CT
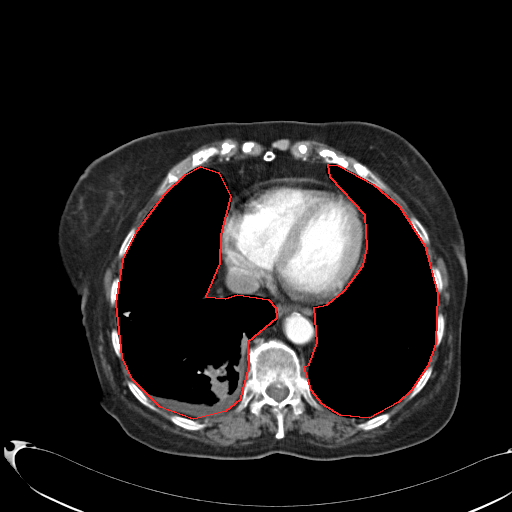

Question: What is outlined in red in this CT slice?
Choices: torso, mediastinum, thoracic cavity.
Answer: red: thoracic cavity.
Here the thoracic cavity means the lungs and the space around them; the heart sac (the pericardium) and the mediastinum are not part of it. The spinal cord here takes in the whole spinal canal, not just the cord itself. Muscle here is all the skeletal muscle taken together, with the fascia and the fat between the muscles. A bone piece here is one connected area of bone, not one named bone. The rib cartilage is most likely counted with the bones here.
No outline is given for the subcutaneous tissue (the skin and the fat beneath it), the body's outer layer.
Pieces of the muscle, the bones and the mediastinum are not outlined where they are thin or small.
{"thoracic_cavity":[[[200,166],[218,172],[230,196],[220,234],[219,263],[205,296],[225,298],[237,294],[268,299],[275,307],[276,318],[247,342],[248,366],[239,400],[225,411],[193,419],[160,407],[132,379],[122,357],[116,303],[123,259],[137,230],[165,193],[185,174]],[[328,164],[338,165],[373,184],[399,206],[424,245],[437,293],[435,343],[427,366],[411,390],[398,402],[369,418],[340,415],[322,404],[311,390],[304,366],[309,364],[317,342],[314,307],[327,304],[344,290],[363,265],[367,247],[365,215],[330,177]]],"torso":[[[264,120],[359,120],[389,128],[415,146],[451,196],[463,230],[468,279],[461,381],[450,420],[431,438],[375,456],[312,460],[273,453],[218,460],[152,449],[128,436],[100,406],[80,298],[60,263],[56,241],[58,221],[76,180],[94,159],[156,131]]],"mediastinum":[[[276,151],[287,152],[301,160],[306,158],[326,163],[329,177],[341,189],[328,181],[314,177],[272,177],[263,181],[256,181],[239,190],[231,201],[224,177],[215,169],[202,165],[220,159],[241,158],[248,155],[261,156],[264,161],[269,162],[275,158]],[[221,257],[224,280],[229,289],[236,292],[246,293],[250,295],[256,295],[257,296],[258,296],[259,296],[267,296],[279,304],[314,306],[313,326],[316,342],[307,365],[302,362],[291,346],[276,338],[261,340],[247,351],[248,342],[276,321],[276,307],[268,298],[263,298],[262,297],[256,296],[255,295],[248,294],[238,294],[235,293],[225,297],[206,296],[216,276]]],"bones":[{"outer":[[270,339],[280,340],[296,352],[306,371],[310,390],[321,406],[317,409],[305,401],[304,411],[295,414],[287,405],[283,416],[284,436],[280,439],[275,437],[278,425],[270,406],[264,405],[259,415],[251,413],[248,406],[235,411],[247,379],[248,350]],"hole":[[272,384],[274,384],[274,385],[277,388],[281,388],[283,386],[285,386],[288,389],[288,393],[287,395],[283,399],[279,401],[276,400],[274,398],[270,396],[267,393],[266,390],[267,388],[270,385]]},[[227,139],[234,140],[237,143],[237,150],[232,156],[225,157],[218,154],[212,156],[203,164],[197,166],[185,173],[164,193],[161,198],[157,195],[157,191],[167,173],[176,164],[186,158],[190,158],[195,152],[201,149],[210,146],[218,147],[224,140]],[[318,148],[326,148],[327,149],[332,150],[340,156],[343,156],[347,159],[352,159],[353,160],[355,160],[363,164],[387,186],[388,188],[387,193],[376,186],[373,183],[361,177],[356,173],[338,164],[324,162],[323,161],[323,159],[317,153],[317,149]],[[278,139],[287,139],[292,143],[297,141],[304,141],[309,143],[311,147],[309,149],[309,151],[308,152],[308,158],[305,157],[301,159],[300,158],[293,156],[288,151],[282,151],[281,150],[278,150],[275,148],[273,148],[271,146],[271,143],[273,141]],[[172,414],[176,414],[182,417],[185,417],[189,419],[192,419],[193,420],[195,420],[201,423],[205,423],[207,425],[205,427],[201,429],[199,429],[198,430],[189,430],[181,426],[179,426],[175,424],[173,422],[172,422],[169,419],[169,416]],[[385,412],[387,412],[389,413],[390,414],[390,417],[385,422],[384,422],[382,424],[374,428],[372,428],[369,430],[364,430],[363,429],[360,429],[356,426],[356,425],[359,423],[361,423],[372,417],[374,417],[379,414],[381,414]],[[128,380],[131,380],[134,382],[134,383],[145,394],[148,400],[154,406],[156,407],[157,409],[157,411],[155,411],[154,410],[152,410],[150,409],[148,407],[147,407],[145,405],[141,403],[134,396],[134,395],[130,391],[127,385],[127,381]],[[428,366],[431,366],[432,367],[432,371],[431,372],[431,374],[430,375],[429,378],[427,380],[427,381],[424,385],[424,386],[412,398],[409,399],[408,398],[409,393],[412,390],[412,389],[414,387],[414,386],[417,383],[418,380],[420,378],[420,377]],[[248,140],[251,140],[252,141],[257,142],[262,146],[262,147],[263,148],[260,152],[260,153],[258,155],[249,155],[248,154],[245,154],[241,151],[241,150],[240,149],[240,148],[241,147],[241,144],[243,142],[244,142],[245,141],[247,141]],[[411,216],[413,216],[415,217],[421,223],[421,224],[425,229],[427,233],[428,238],[429,239],[429,242],[427,244],[424,244],[423,243],[422,240],[419,237],[419,236],[415,231],[413,226],[411,224],[409,220],[409,217]],[[133,227],[135,227],[136,228],[136,232],[134,235],[134,237],[128,249],[126,251],[124,256],[123,257],[119,257],[118,256],[118,253],[119,252],[119,249],[120,248],[120,246],[124,238],[126,236],[126,235],[128,233],[130,229]],[[439,313],[441,313],[443,315],[443,317],[444,318],[444,331],[443,332],[443,335],[441,338],[441,340],[440,341],[440,342],[439,343],[439,344],[438,345],[438,346],[437,347],[435,347],[435,344],[436,343],[436,325],[437,324],[437,316]],[[116,277],[118,277],[120,278],[120,281],[119,282],[119,291],[118,292],[118,295],[117,296],[117,300],[115,303],[115,305],[113,306],[111,304],[111,302],[110,301],[110,290],[111,289],[111,285],[112,284],[112,282],[114,278]],[[113,328],[115,328],[117,330],[117,333],[118,334],[118,337],[119,338],[119,343],[120,344],[120,349],[121,350],[121,357],[120,358],[117,356],[117,355],[116,354],[116,353],[114,350],[114,348],[112,345],[112,342],[111,341],[111,330]],[[432,266],[434,266],[438,268],[441,274],[441,278],[442,279],[442,289],[440,293],[438,293],[437,292],[437,290],[435,286],[435,283],[433,279],[433,276],[432,275],[432,271],[431,270],[431,267]]],"spinal_cord":[[[272,384],[274,384],[274,385],[277,388],[281,388],[283,386],[285,386],[288,389],[288,393],[287,395],[283,399],[279,401],[276,400],[274,398],[270,396],[267,393],[266,390],[267,388],[270,385]]],"muscle":[[[119,246],[117,256],[123,258],[120,277],[113,278],[109,290],[109,301],[116,313],[110,341],[131,377],[126,385],[133,396],[155,412],[158,409],[149,398],[172,413],[168,416],[172,423],[189,431],[208,425],[197,419],[225,412],[237,403],[235,412],[248,407],[255,416],[268,406],[276,419],[275,438],[237,447],[205,443],[160,427],[129,408],[114,393],[103,372],[97,345],[98,323],[105,320],[107,312],[103,278]],[[424,226],[445,263],[449,280],[450,301],[446,312],[453,332],[453,356],[439,391],[393,428],[374,437],[337,447],[284,437],[287,406],[295,415],[305,411],[305,402],[317,410],[322,408],[321,404],[340,416],[368,418],[355,426],[369,431],[391,417],[387,410],[407,394],[407,398],[412,399],[427,383],[433,371],[428,364],[444,335],[445,318],[441,312],[438,313],[442,274],[438,267],[431,266],[425,248],[430,239]],[[288,139],[290,139],[294,141],[295,140],[309,140],[310,139],[311,140],[319,141],[325,144],[327,144],[339,150],[344,154],[348,156],[350,156],[355,159],[353,159],[352,158],[347,158],[343,155],[338,154],[334,150],[326,147],[318,147],[316,149],[316,153],[322,159],[322,160],[316,160],[315,159],[314,160],[313,159],[309,159],[309,152],[310,151],[310,149],[312,147],[309,142],[304,140],[297,140],[292,142]],[[163,179],[158,189],[156,191],[156,195],[160,199],[147,213],[147,214],[145,216],[145,217],[143,219],[143,220],[141,222],[140,225],[137,229],[137,228],[135,226],[131,227],[137,214],[152,196],[155,190],[160,184],[160,183]],[[226,138],[235,138],[236,139],[238,139],[239,140],[247,140],[245,140],[244,141],[243,141],[240,144],[240,147],[239,148],[240,151],[243,154],[244,154],[245,155],[247,155],[244,155],[241,157],[235,157],[234,156],[233,156],[237,152],[237,151],[238,150],[238,143],[234,139],[227,138],[226,139],[224,139],[218,146],[215,146],[214,145],[210,145],[209,146],[207,146],[206,147],[201,148],[200,149],[195,151],[190,156],[190,157],[186,157],[185,158],[184,158],[190,153],[191,153],[194,150],[197,149],[199,147],[200,147],[204,144],[206,144],[207,143],[210,143],[211,142],[213,142],[214,141],[217,141],[218,140],[222,140],[223,139],[225,139]],[[388,186],[389,186],[390,188],[391,188],[400,197],[401,197],[404,200],[404,201],[407,204],[408,207],[415,215],[415,216],[411,215],[409,216],[408,218],[408,217],[404,213],[400,206],[398,205],[398,204],[388,194],[388,192],[389,191],[389,188]]],"pericardium":[[[283,177],[306,177],[328,182],[345,192],[358,205],[363,214],[365,247],[361,265],[343,290],[327,303],[318,305],[284,304],[272,300],[267,295],[236,291],[229,288],[226,283],[221,256],[221,234],[226,216],[231,209],[232,200],[239,191],[256,182]]]}